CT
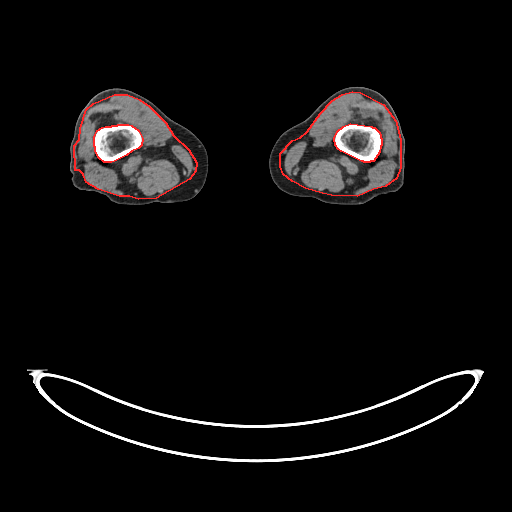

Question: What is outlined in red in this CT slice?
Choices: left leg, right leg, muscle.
Answer: red: muscle.
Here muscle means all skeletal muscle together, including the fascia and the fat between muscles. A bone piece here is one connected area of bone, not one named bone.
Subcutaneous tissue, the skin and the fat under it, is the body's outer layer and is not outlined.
{"muscle":[{"outer":[[114,94],[127,94],[139,99],[149,106],[165,122],[173,135],[188,149],[196,162],[195,171],[189,179],[156,198],[138,199],[129,196],[119,196],[98,189],[86,182],[83,174],[79,170],[75,170],[74,145],[79,139],[80,128],[86,109],[93,103]],"hole":[[118,124],[128,124],[131,125],[138,130],[142,138],[141,145],[138,148],[131,151],[126,155],[114,161],[111,162],[104,162],[99,158],[95,151],[95,147],[94,146],[94,137],[95,134],[97,130],[102,127],[105,126],[111,126],[112,125],[117,125]]},{"outer":[[352,91],[360,92],[383,104],[395,120],[400,139],[400,167],[396,178],[385,186],[373,189],[357,196],[331,195],[322,193],[305,188],[292,181],[283,174],[280,166],[280,153],[292,140],[300,137],[307,131],[320,113],[332,100],[342,94]],"hole":[[350,123],[371,126],[372,127],[374,127],[379,132],[380,134],[380,137],[381,138],[381,145],[380,146],[379,152],[373,161],[370,161],[369,162],[364,162],[363,161],[361,161],[341,151],[338,149],[335,145],[334,138],[337,131],[343,126]]}],"left_leg":[[[349,86],[364,86],[378,91],[387,99],[394,109],[405,138],[405,167],[403,185],[395,192],[376,196],[363,204],[357,205],[331,204],[323,202],[313,197],[294,196],[282,191],[273,182],[268,167],[269,155],[274,143],[285,130],[304,120],[331,94]]],"right_leg":[[[114,87],[129,89],[147,98],[170,118],[193,132],[203,143],[208,155],[208,172],[203,187],[193,198],[173,203],[152,202],[143,205],[126,205],[115,203],[99,193],[80,190],[73,186],[69,170],[69,147],[77,117],[82,108],[95,94],[102,90]]],"bones":[[[118,124],[128,124],[131,125],[138,130],[142,138],[141,145],[138,148],[131,151],[126,155],[114,161],[111,162],[104,162],[99,158],[95,151],[95,147],[94,146],[94,137],[95,134],[97,130],[102,127],[105,126],[111,126],[112,125],[117,125]],[[350,123],[371,126],[372,127],[374,127],[379,132],[380,134],[380,137],[381,138],[381,145],[380,146],[379,152],[373,161],[370,161],[369,162],[364,162],[363,161],[361,161],[341,151],[338,149],[335,145],[334,138],[337,131],[343,126]]]}